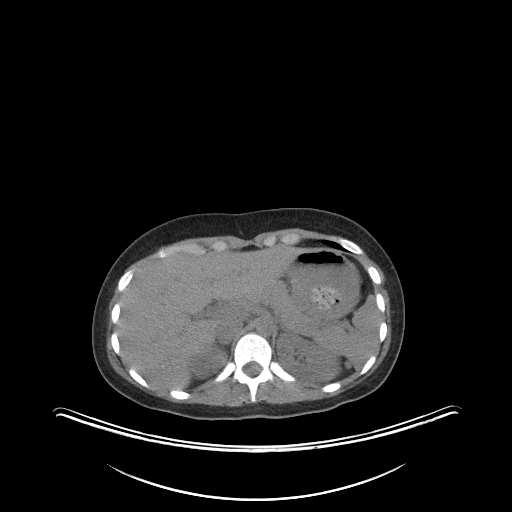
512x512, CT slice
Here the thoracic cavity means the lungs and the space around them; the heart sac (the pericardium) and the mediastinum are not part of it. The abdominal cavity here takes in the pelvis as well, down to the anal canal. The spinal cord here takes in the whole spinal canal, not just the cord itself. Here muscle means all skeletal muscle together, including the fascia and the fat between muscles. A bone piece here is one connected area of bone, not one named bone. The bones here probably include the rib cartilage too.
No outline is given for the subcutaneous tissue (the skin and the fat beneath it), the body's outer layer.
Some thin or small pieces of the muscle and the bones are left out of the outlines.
spinal cord: 249 362; 256 362; 261 367; 261 370; 259 372; 259 373; 257 375; 256 375; 254 377; 251 377; 250 376; 249 376; 247 374; 246 374; 243 371; 243 367; 247 363; 248 363
thoracic cavity: 320 240; 330 240; 331 241; 336 242; 343 249; 344 249; 345 250; 350 252; 348 252; 345 250; 341 250; 340 249; 337 249; 336 248; 334 248; 332 246; 331 246; 330 245; 327 245; 326 244; 325 244; 322 241; 321 241
bones 1: 249 332; 264 337; 272 348; 272 359; 295 378; 294 381; 285 381; 275 375; 273 382; 268 380; 261 382; 257 387; 256 402; 254 403; 250 400; 248 386; 233 380; 231 375; 221 381; 214 381; 227 362; 233 359; 233 352; 238 339, around a hole outlined by 249 362; 256 362; 261 367; 261 370; 259 372; 259 373; 257 375; 256 375; 254 377; 251 377; 250 376; 249 376; 247 374; 246 374; 243 371; 243 367; 247 363; 248 363
bones 2: 338 238; 346 238; 349 240; 351 240; 352 241; 353 241; 355 243; 356 243; 363 250; 363 253; 362 254; 356 254; 355 253; 353 253; 352 252; 351 252; 350 251; 349 251; 348 250; 347 250; 346 249; 343 248; 335 240
bones 3: 130 269; 133 271; 133 276; 131 278; 131 279; 130 280; 130 281; 129 282; 129 283; 125 287; 125 288; 122 291; 119 291; 117 289; 117 284; 118 283; 118 280; 119 279; 119 278; 126 271; 127 271
bones 4: 186 243; 195 243; 196 244; 197 244; 198 245; 200 245; 204 249; 204 251; 202 253; 193 253; 192 252; 190 252; 188 250; 184 250; 183 251; 180 251; 179 250; 177 250; 177 249; 181 245; 184 245
bones 5: 130 367; 132 367; 133 368; 134 368; 134 369; 148 383; 148 384; 150 386; 150 388; 147 388; 146 387; 145 387; 144 386; 143 386; 142 385; 141 385; 138 382; 137 382; 130 375; 130 374; 128 371; 129 370; 129 368
bones 6: 368 266; 373 266; 377 270; 377 271; 379 273; 379 275; 381 278; 381 282; 379 284; 376 284; 375 283; 374 283; 372 281; 372 280; 371 279; 371 278; 370 277; 370 276; 369 275; 369 274; 368 273; 368 272; 366 269; 366 268
bones 7: 172 389; 177 389; 178 390; 182 390; 183 391; 185 391; 186 392; 187 392; 188 393; 189 393; 190 394; 190 396; 188 398; 187 398; 186 399; 178 399; 177 398; 175 398; 174 397; 172 397; 170 395; 170 394; 169 393; 169 391
bones 8: 114 331; 116 331; 117 332; 117 337; 118 338; 118 340; 119 341; 119 348; 120 349; 120 354; 119 355; 118 355; 114 351; 114 350; 113 349; 113 348; 112 347; 112 345; 111 344; 111 334
bones 9: 117 302; 119 302; 120 303; 120 311; 119 312; 119 317; 118 318; 118 320; 117 321; 117 323; 113 323; 113 322; 111 320; 111 311; 112 310; 112 309; 113 308; 113 306; 115 304; 115 303; 116 303
bones 10: 337 381; 339 381; 339 382; 340 383; 340 387; 338 389; 337 389; 336 390; 335 390; 334 391; 332 391; 331 392; 325 392; 324 391; 323 391; 321 389; 322 388; 322 387; 325 384; 328 384; 329 383; 331 383; 332 382; 336 382
bones 11: 373 354; 374 354; 375 355; 375 361; 373 363; 373 364; 370 367; 370 368; 366 372; 365 372; 363 374; 360 374; 360 371; 361 370; 361 369; 362 368; 362 367; 364 365; 364 364; 366 362; 366 361; 370 357; 370 356
bones 12: 383 321; 384 322; 385 322; 385 323; 386 324; 386 325; 387 326; 387 331; 386 332; 386 335; 385 336; 385 338; 381 342; 380 341; 379 341; 379 327; 380 326; 380 323; 381 322; 382 322
bones 13: 161 246; 165 246; 166 247; 167 247; 168 248; 169 248; 171 250; 171 252; 169 254; 168 254; 166 256; 165 256; 164 257; 157 257; 155 255; 155 253; 156 252; 156 251
bones 14: 376 293; 380 293; 382 295; 382 296; 383 297; 383 300; 384 301; 384 305; 385 306; 385 309; 383 312; 381 312; 377 306; 377 304; 376 303; 376 297; 375 296; 375 295; 376 294
bones 15: 271 235; 274 235; 276 237; 276 238; 275 239; 275 242; 271 246; 268 246; 264 242; 264 241; 269 236; 270 236
torso: 279 207; 312 207; 349 217; 367 229; 390 257; 403 290; 405 329; 398 357; 385 381; 370 394; 330 410; 286 418; 240 420; 194 419; 150 409; 111 387; 94 360; 91 326; 99 289; 120 253; 145 231; 179 216; 202 212; 240 213
mediastinum: 303 239; 318 239; 321 242; 322 242; 325 245; 326 245; 327 246; 328 246; 323 246; 322 245; 314 245; 313 246; 303 246; 302 245; 299 245; 298 244; 296 244; 297 244; 301 240; 302 240
abdominal cavity: 281 241; 351 253; 366 270; 379 310; 379 326; 375 350; 360 369; 324 384; 295 377; 274 360; 269 341; 254 331; 237 339; 213 378; 186 391; 149 383; 124 359; 117 331; 121 301; 142 268; 177 251; 202 254; 250 245; 271 247
muscle 1: 360 246; 365 250; 381 268; 389 282; 391 341; 387 353; 381 363; 363 381; 331 397; 283 404; 270 404; 263 401; 257 402; 257 391; 259 385; 268 381; 273 383; 275 381; 275 376; 285 382; 294 382; 297 378; 316 384; 323 384; 320 389; 325 393; 331 393; 341 387; 340 380; 358 370; 360 370; 359 374; 363 375; 371 368; 376 361; 376 355; 374 352; 376 350; 378 341; 381 343; 386 338; 388 331; 388 326; 386 322; 383 320; 380 322; 380 312; 383 313; 386 309; 386 306; 383 295; 380 292; 375 293; 374 290; 373 283; 379 285; 382 282; 380 273; 373 265; 368 265; 365 268; 354 255; 362 255; 364 253; 364 252; 364 250
muscle 2: 117 281; 116 289; 123 293; 120 302; 115 302; 110 311; 110 320; 117 326; 110 334; 110 344; 118 356; 121 354; 129 366; 127 371; 129 375; 137 383; 147 389; 151 388; 149 384; 151 384; 169 390; 168 393; 172 398; 186 400; 191 396; 187 390; 211 379; 217 383; 231 376; 233 381; 247 386; 249 400; 252 403; 230 407; 172 402; 141 390; 118 374; 111 366; 106 351; 108 305
muscle 3: 286 228; 301 228; 338 235; 343 237; 338 237; 335 241; 318 238; 301 239; 297 233; 287 233; 277 243; 275 243; 277 237; 274 234; 269 235; 263 241; 266 245; 262 246; 250 244; 229 249; 225 248; 227 245; 224 241; 218 240; 211 245; 213 249; 205 251; 200 244; 186 242; 181 244; 176 251; 172 252; 169 247; 163 245; 187 238; 219 235; 232 235; 242 239; 251 239; 262 232
muscle 4: 158 247; 159 247; 154 253; 154 255; 157 258; 157 259; 155 259; 153 261; 151 261; 142 267; 141 269; 140 269; 139 271; 138 271; 137 273; 135 274; 134 274; 134 271; 130 268; 124 272; 125 269; 131 264; 149 254